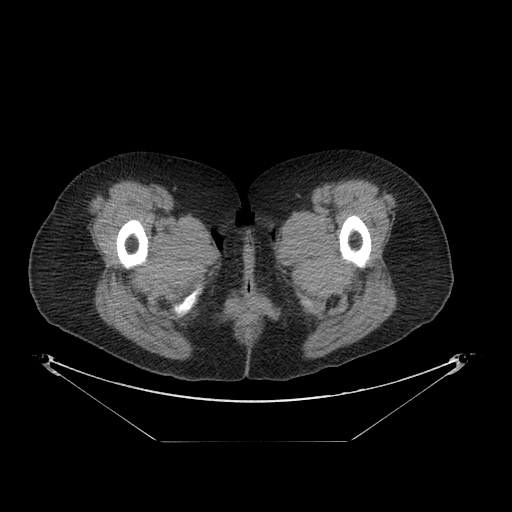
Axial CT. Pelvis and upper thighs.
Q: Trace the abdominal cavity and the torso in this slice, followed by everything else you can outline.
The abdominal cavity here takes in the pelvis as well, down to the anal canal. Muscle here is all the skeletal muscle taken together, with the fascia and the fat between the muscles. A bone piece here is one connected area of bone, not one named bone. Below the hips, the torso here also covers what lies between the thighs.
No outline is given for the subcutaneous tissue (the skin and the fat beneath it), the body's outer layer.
A: {"abdominal_cavity":[[[258,297],[264,298],[268,303],[268,307],[263,312],[259,314],[259,325],[257,326],[253,335],[249,339],[246,339],[245,337],[244,338],[239,333],[238,329],[236,327],[236,316],[230,311],[228,307],[229,301],[231,299],[245,300],[246,299],[257,298]]],"torso":[[[250,247],[254,284],[257,290],[264,297],[266,297],[278,307],[280,314],[279,320],[267,321],[265,328],[261,332],[251,352],[244,343],[240,343],[237,339],[233,331],[233,324],[224,316],[223,313],[224,301],[229,296],[236,293],[245,284],[248,273]]],"left_leg":[[[331,148],[354,148],[380,155],[404,169],[423,187],[447,236],[454,274],[451,293],[432,321],[383,349],[308,376],[285,381],[250,380],[247,376],[251,353],[268,321],[279,321],[281,314],[279,307],[258,290],[254,281],[248,188],[260,173],[280,161]]],"right_leg":[{"outer":[[130,150],[152,150],[203,162],[227,175],[237,189],[241,202],[237,217],[249,222],[247,273],[244,284],[223,301],[222,313],[250,353],[246,378],[240,381],[186,381],[146,371],[63,332],[37,310],[27,274],[37,230],[76,174],[110,155]],"hole":[[213,232],[214,232],[219,237],[219,238],[220,239],[220,242],[219,243],[219,244],[216,241],[216,240],[215,239],[215,238],[214,237],[214,236],[213,235]]}],"muscle":[{"outer":[[119,178],[158,182],[183,208],[204,224],[212,243],[220,253],[221,265],[217,275],[199,313],[189,327],[190,336],[198,346],[196,356],[189,360],[164,357],[137,345],[109,326],[96,311],[94,291],[103,269],[103,262],[87,227],[88,203],[99,187]],"holes":[[[130,219],[137,219],[143,226],[148,241],[148,248],[147,249],[147,256],[146,257],[146,260],[142,264],[136,265],[129,269],[127,269],[125,268],[119,261],[117,255],[117,251],[116,250],[116,237],[118,231],[121,226]],[[199,285],[202,286],[202,291],[201,293],[197,296],[197,300],[196,301],[196,303],[186,313],[185,313],[183,315],[181,315],[179,316],[175,312],[174,310],[174,306],[176,304],[178,304],[180,303],[186,296],[187,296],[190,293],[191,293]]]},{"outer":[[349,175],[372,180],[386,189],[395,199],[395,217],[391,235],[383,251],[383,258],[392,278],[397,297],[397,308],[377,328],[357,341],[321,357],[302,358],[299,347],[304,337],[304,328],[274,265],[273,239],[284,219],[289,213],[305,203],[315,187]],"hole":[[353,214],[357,215],[364,222],[368,228],[368,231],[371,239],[371,251],[369,255],[369,259],[366,262],[366,264],[363,268],[360,268],[356,266],[353,263],[343,259],[341,256],[341,253],[339,249],[339,238],[338,236],[342,224],[344,220],[348,216]]},{"outer":[[255,291],[256,292],[267,294],[274,304],[275,310],[270,314],[268,314],[263,317],[263,320],[264,321],[263,329],[257,341],[249,349],[245,344],[239,343],[234,337],[233,335],[234,321],[222,310],[222,301],[229,296],[232,296],[243,292],[254,292]],"hole":[[258,297],[264,298],[268,303],[268,307],[263,312],[259,314],[259,325],[257,326],[253,335],[249,339],[246,339],[245,337],[244,338],[239,333],[238,329],[236,327],[236,316],[230,311],[228,307],[229,301],[231,299],[245,300],[246,299],[257,298]]}],"bones":[[[353,214],[357,215],[364,222],[368,228],[368,231],[371,239],[371,251],[369,255],[369,259],[366,262],[366,264],[363,268],[360,268],[356,266],[353,263],[343,259],[341,256],[341,253],[339,249],[339,238],[338,236],[342,224],[344,220],[348,216]],[[130,219],[137,219],[143,226],[148,241],[148,248],[147,249],[147,256],[146,257],[146,260],[142,264],[136,265],[129,269],[127,269],[125,268],[119,261],[117,255],[117,251],[116,250],[116,237],[118,231],[121,226]],[[199,285],[202,286],[202,291],[201,293],[197,296],[197,300],[196,301],[196,303],[186,313],[185,313],[183,315],[181,315],[179,316],[175,312],[174,310],[174,306],[176,304],[178,304],[180,303],[186,296],[187,296],[190,293],[191,293]]]}